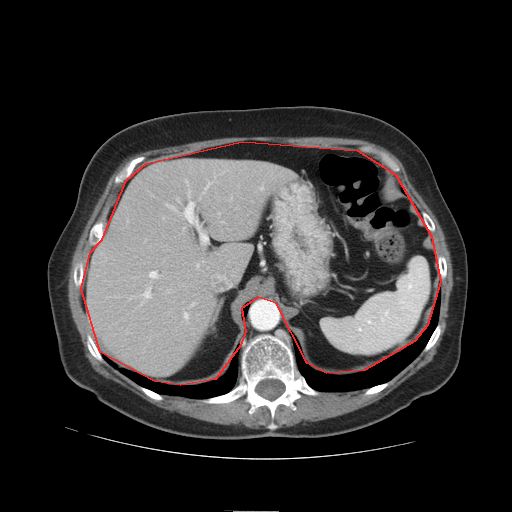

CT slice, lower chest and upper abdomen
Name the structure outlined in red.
red: abdominal cavity.
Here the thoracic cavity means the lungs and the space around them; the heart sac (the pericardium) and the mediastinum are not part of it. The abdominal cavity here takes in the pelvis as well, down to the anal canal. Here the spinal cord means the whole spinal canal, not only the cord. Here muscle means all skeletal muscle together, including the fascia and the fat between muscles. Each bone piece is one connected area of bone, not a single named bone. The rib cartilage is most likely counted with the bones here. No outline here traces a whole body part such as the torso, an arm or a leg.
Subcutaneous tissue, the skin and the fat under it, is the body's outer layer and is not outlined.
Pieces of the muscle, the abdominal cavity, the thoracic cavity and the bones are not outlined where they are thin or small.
The abdominal cavity is outlined by (242, 141) (357, 150) (395, 174) (431, 236) (440, 281) (427, 325) (414, 341) (364, 370) (326, 373) (307, 363) (276, 303) (258, 297) (241, 308) (245, 331) (240, 345) (215, 379) (180, 385) (154, 381) (100, 352) (81, 288) (90, 252) (102, 239) (126, 180) (146, 163). The muscle is outlined by (245, 136) (332, 136) (378, 144) (400, 160) (438, 220) (453, 270) (445, 331) (433, 359) (375, 402) (335, 417) (302, 421) (288, 427) (277, 428) (274, 421) (277, 407) (284, 405) (294, 411) (294, 403) (301, 394) (318, 396) (321, 392) (361, 389) (365, 389) (366, 396) (379, 393) (421, 352) (427, 352) (441, 334) (440, 277) (445, 279) (448, 267) (446, 258) (437, 254) (430, 234) (436, 230) (435, 223) (428, 213) (420, 211) (394, 173) (400, 171) (399, 165) (385, 151) (371, 145) (362, 145) (358, 150) (242, 140) (153, 160) (135, 168) (146, 158) (136, 156) (113, 179) (116, 185) (123, 184) (109, 210) (105, 227) (98, 220) (89, 229) (87, 241) (92, 247) (85, 265) (78, 260) (73, 266) (73, 283) (80, 288) (81, 307) (89, 330) (86, 347) (94, 358) (101, 363) (105, 361) (157, 401) (161, 401) (164, 394) (195, 398) (206, 404) (225, 404) (245, 395) (244, 400) (250, 405) (249, 414) (259, 407) (267, 407) (271, 419) (267, 428) (218, 424) (171, 412) (104, 377) (93, 369) (85, 356) (69, 307) (68, 272) (79, 237) (111, 174) (124, 158) (140, 151). The mediastinum is outlined by (258, 298) (267, 298) (272, 300) (280, 310) (281, 319) (289, 329) (289, 336) (291, 340) (292, 348) (290, 348) (277, 335) (271, 333) (260, 333) (257, 334) (249, 339) (242, 347) (241, 346) (240, 340) (245, 334) (246, 331) (246, 320) (245, 318) (248, 313) (251, 302). The bones appear in 10 outlined pieces: piece 1: (260, 334) (277, 336) (292, 349) (298, 371) (310, 387) (320, 392) (301, 393) (293, 403) (294, 410) (279, 404) (273, 418) (275, 429) (268, 428) (272, 419) (267, 406) (249, 413) (251, 405) (245, 394) (225, 403) (206, 403) (200, 399) (225, 394) (239, 382) (242, 348), around a hole outlined by (265, 379) (276, 379) (277, 380) (279, 380) (281, 382) (282, 382) (284, 385) (284, 391) (279, 396) (278, 396) (276, 398) (272, 400) (267, 399) (261, 396) (257, 393) (255, 389) (258, 383) (262, 380) (264, 380); piece 2: (362, 146) (371, 146) (380, 151) (383, 151) (385, 152) (398, 165) (399, 167) (399, 171) (397, 172) (394, 172) (392, 171) (392, 170) (390, 169) (390, 168) (388, 167) (380, 159) (380, 158) (376, 154) (374, 153) (368, 153) (367, 152) (362, 151) (360, 149) (360, 148); piece 3: (139, 156) (144, 156) (145, 158) (142, 161) (139, 162) (134, 167) (133, 169) (133, 171) (131, 173) (131, 174) (123, 182) (121, 182) (120, 183) (118, 183) (116, 184) (114, 182) (114, 179) (116, 175) (126, 165) (127, 163) (128, 163) (132, 159) (136, 157) (138, 157); piece 4: (98, 221) (101, 221) (103, 223) (103, 234) (102, 235) (102, 237) (101, 238) (101, 239) (97, 243) (96, 243) (95, 244) (95, 245) (91, 245) (88, 241) (88, 237) (89, 236) (89, 232) (90, 231) (90, 229) (92, 227) (92, 226) (96, 222) (97, 222); piece 5: (78, 261) (81, 261) (83, 263) (83, 265) (84, 266) (84, 274) (83, 275) (83, 279) (82, 280) (82, 284) (81, 285) (81, 287) (77, 287) (75, 285) (75, 284) (74, 283) (74, 279) (73, 278) (73, 271) (74, 270) (74, 266) (75, 265) (75, 264); piece 6: (88, 333) (89, 333) (90, 334) (90, 335) (91, 336) (91, 337) (92, 338) (92, 339) (93, 340) (97, 349) (101, 354) (101, 355) (104, 360) (104, 362) (101, 362) (99, 360) (98, 360) (95, 357) (94, 357) (89, 351) (89, 350) (87, 347) (87, 334); piece 7: (438, 323) (439, 323) (441, 326) (441, 331) (440, 332) (440, 334) (439, 335) (437, 340) (435, 342) (435, 343) (427, 351) (426, 351) (425, 352) (422, 352) (423, 349) (425, 347) (427, 342) (429, 340) (429, 339) (430, 338) (432, 333) (434, 331) (434, 330); piece 8: (422, 211) (424, 211) (427, 214) (428, 214) (428, 215) (432, 219) (432, 220) (434, 223) (434, 225) (435, 226) (435, 230) (434, 231) (429, 231) (428, 230) (428, 229) (426, 227) (426, 226) (424, 223) (424, 221) (423, 220) (422, 215) (421, 214) (421, 212); piece 9: (386, 382) (388, 382) (388, 385) (379, 392) (377, 392) (376, 393) (373, 393) (372, 394) (367, 394) (366, 395) (365, 394) (364, 394) (366, 389) (367, 389) (370, 387) (372, 387) (373, 386) (375, 386) (376, 385) (378, 385) (379, 384) (382, 384) (383, 383) (385, 383); piece 10: (139, 386) (142, 386) (143, 387) (144, 387) (147, 389) (149, 389) (156, 393) (158, 393) (159, 394) (160, 394) (163, 397) (163, 398) (161, 400) (157, 400) (156, 399) (154, 399) (153, 398) (150, 397) (148, 395) (147, 395) (143, 391) (142, 391) (139, 388). The spinal cord is outlined by (265, 379) (276, 379) (277, 380) (279, 380) (281, 382) (282, 382) (284, 385) (284, 391) (279, 396) (278, 396) (276, 398) (272, 400) (267, 399) (261, 396) (257, 393) (255, 389) (258, 383) (262, 380) (264, 380). The thoracic cavity appears in 2 outlined pieces: piece 1: (440, 283) (439, 315) (438, 321) (433, 331) (422, 350) (388, 381) (367, 388) (347, 391) (320, 391) (307, 383) (306, 379) (297, 367) (290, 333) (292, 333) (297, 339) (301, 353) (306, 363) (314, 370) (334, 375) (346, 375) (361, 372) (397, 354) (419, 337) (430, 320); piece 2: (237, 346) (241, 347) (239, 353) (240, 376) (238, 382) (225, 393) (204, 398) (188, 397) (177, 394) (161, 394) (156, 392) (138, 384) (120, 372) (108, 363) (102, 355) (118, 367) (135, 372) (154, 382) (180, 386) (201, 384) (215, 380) (222, 376) (228, 369) (232, 355).